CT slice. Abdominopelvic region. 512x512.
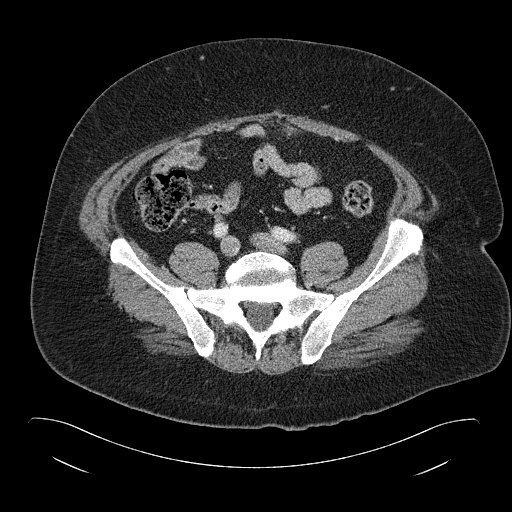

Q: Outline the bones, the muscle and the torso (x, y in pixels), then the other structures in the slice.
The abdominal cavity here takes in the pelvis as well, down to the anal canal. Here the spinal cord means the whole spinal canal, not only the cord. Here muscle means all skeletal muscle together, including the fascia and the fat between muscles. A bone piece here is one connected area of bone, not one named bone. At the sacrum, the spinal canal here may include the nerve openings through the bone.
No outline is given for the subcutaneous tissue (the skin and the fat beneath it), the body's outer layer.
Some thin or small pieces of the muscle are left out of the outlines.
A: The bones are outlined by 395,217 421,228 418,254 351,303 309,365 300,346 317,311 271,335 256,360 242,328 199,308 215,338 204,358 169,301 109,257 123,236 163,282 205,289 240,256 266,251 295,268 298,287 336,296 371,272; inner edge: 244,301 246,302 253,302 258,304 274,304 276,303 278,304 279,306 279,310 276,315 275,315 272,318 271,322 267,327 264,329 258,330 251,324 246,315 246,313 243,311 241,307 241,304 242,302. The muscle is outlined by 276,108 279,108 286,113 306,115 312,119 321,120 360,134 373,141 417,172 439,201 440,209 431,224 426,246 425,266 429,278 428,288 425,296 419,304 419,310 422,319 425,322 425,334 414,345 380,363 363,369 329,376 292,369 277,375 269,375 259,370 252,370 246,373 233,373 218,368 213,364 188,357 184,358 165,354 157,355 141,350 136,344 132,331 122,313 106,295 108,271 104,261 78,226 77,218 79,210 89,186 95,178 111,164 134,150 150,143 157,142 168,136 178,134 179,132 192,129 209,122 222,121 231,117 248,114 270,112 with a hole at 261,119 363,146 396,182 365,259 343,276 343,247 321,241 301,252 302,280 336,296 371,272 390,220 423,233 418,254 351,303 309,365 300,346 317,311 301,330 271,335 256,360 242,328 199,308 215,338 204,358 169,301 109,257 111,241 123,236 163,282 214,287 215,251 182,241 167,258 170,269 157,265 118,222 115,203 138,170 174,144. The torso is outlined by 244,37 310,40 381,55 436,85 474,121 503,202 501,231 485,247 505,279 511,305 509,339 495,369 376,413 285,430 156,416 70,382 45,362 32,332 30,284 52,176 74,125 102,91 138,66 189,46. The spinal cord is outlined by 244,301 246,302 253,302 258,304 274,304 276,303 278,304 279,306 279,310 276,315 275,315 272,318 271,322 267,327 264,329 258,330 251,324 246,315 246,313 243,311 241,307 241,304 242,302. The abdominal cavity is outlined by 261,119 363,146 396,182 369,253 348,275 348,258 336,241 302,250 301,279 323,291 298,286 287,259 259,249 232,261 217,287 220,262 211,248 179,242 167,258 169,269 115,217 120,191 147,161 192,136.